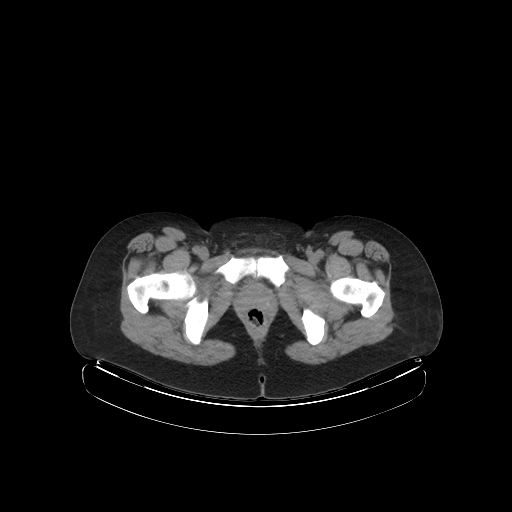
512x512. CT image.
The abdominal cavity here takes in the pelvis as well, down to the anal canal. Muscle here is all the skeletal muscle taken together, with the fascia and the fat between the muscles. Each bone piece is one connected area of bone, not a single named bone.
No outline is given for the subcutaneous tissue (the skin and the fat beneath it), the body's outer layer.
The abdominal cavity is outlined by 249,275 256,278 262,277 267,279 275,288 275,295 277,297 277,307 275,308 275,311 260,341 256,341 252,337 246,323 242,320 240,314 236,311 236,308 234,307 234,289 236,287 236,284 242,278. The torso is outlined by 156,210 187,214 205,227 241,215 288,219 305,228 339,214 384,221 417,246 432,272 443,310 439,343 420,361 410,359 342,389 285,400 194,395 104,361 84,358 72,343 69,313 87,259 113,225 128,216. The bones appear in 4 outlined pieces: piece 1: 185,270 194,279 196,284 194,295 197,299 201,301 207,298 208,300 208,317 198,344 193,344 184,335 184,318 187,309 185,300 152,298 148,301 148,311 141,313 130,301 126,290 127,285 137,276; piece 2: 280,254 288,265 289,269 285,273 284,282 277,288 267,278 262,276 256,277 250,274 245,275 235,284 232,284 227,281 222,274 215,272 215,270 219,266 225,263 231,256 236,257 247,257 248,256 275,257; piece 3: 346,276 356,277 366,281 376,281 384,291 385,294 381,305 377,311 370,317 364,317 361,315 360,313 361,306 359,304 347,303 335,298 332,295 329,289 330,283 333,280 335,280 341,277 345,277; piece 4: 304,308 309,308 315,313 323,317 325,320 325,324 324,325 324,336 323,337 323,339 319,343 315,345 312,345 309,343 307,341 305,336 305,330 304,329 303,324 301,321 301,317 302,316 302,313. The muscle is outlined by 159,225 181,229 203,243 213,254 225,249 262,247 300,255 307,244 326,240 340,230 365,235 383,245 390,255 390,298 395,327 379,342 325,363 307,364 291,359 284,352 285,347 297,340 301,333 280,306 262,343 264,364 258,362 253,340 230,306 208,333 213,338 233,344 236,348 233,357 204,366 153,354 122,333 119,304 121,263 128,242 with holes at 280,254 289,269 285,273 284,282 275,288 277,307 275,308 263,337 260,341 256,341 252,337 246,323 242,320 240,314 234,307 234,289 236,285 227,281 222,274 216,273 215,270 225,263 231,256 275,257 and at 185,270 194,279 196,284 194,295 197,299 201,301 207,298 208,300 208,317 198,344 193,344 184,335 184,318 187,309 185,300 152,298 148,301 148,311 141,313 130,301 126,290 127,285 137,276 and at 346,276 356,277 366,281 376,281 384,291 385,294 381,305 377,311 370,317 364,317 361,315 360,313 361,306 359,304 347,303 335,298 332,295 329,289 330,283 333,280 335,280 341,277 345,277 and at 304,308 309,308 315,313 323,317 325,320 325,324 324,325 324,336 323,337 323,339 319,343 315,345 312,345 309,343 307,341 305,336 305,330 304,329 303,324 301,321 301,317 302,316 302,313.